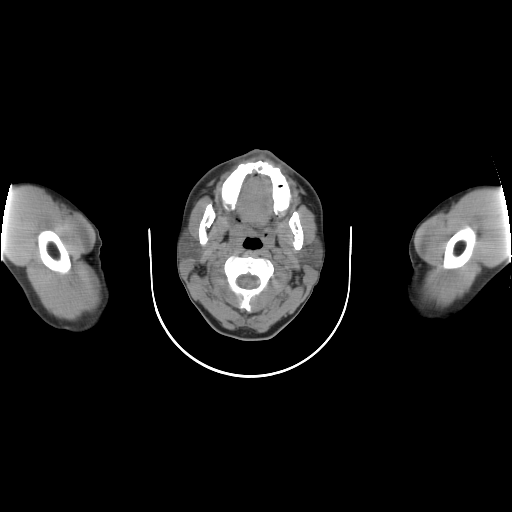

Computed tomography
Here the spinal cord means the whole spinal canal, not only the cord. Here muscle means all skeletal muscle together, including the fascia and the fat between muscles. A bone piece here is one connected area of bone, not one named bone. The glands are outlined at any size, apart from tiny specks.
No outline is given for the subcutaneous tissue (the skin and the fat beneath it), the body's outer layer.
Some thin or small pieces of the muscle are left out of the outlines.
The spinal cord is outlined by [[244,274],[249,274],[252,276],[256,276],[258,278],[258,279],[259,280],[259,283],[258,284],[258,285],[256,287],[254,287],[253,288],[244,288],[243,287],[241,287],[239,285],[238,285],[236,282],[236,280],[237,279],[237,278],[240,275],[243,275]]. The left arm is outlined by [[483,183],[494,184],[502,188],[507,210],[508,225],[511,233],[510,262],[494,276],[475,298],[460,312],[446,320],[439,322],[425,320],[419,317],[412,310],[406,293],[406,284],[412,269],[408,255],[408,242],[412,231],[416,224],[440,201],[464,188]]. The muscle appears in 3 outlined pieces: piece 1: [[254,156],[264,156],[280,164],[300,184],[308,195],[314,207],[318,237],[301,250],[299,253],[299,258],[303,263],[316,270],[316,276],[305,298],[292,313],[264,333],[243,333],[231,331],[219,325],[193,298],[181,273],[181,259],[195,259],[200,256],[201,246],[204,246],[208,241],[207,230],[216,217],[213,204],[208,202],[204,207],[198,224],[198,241],[187,228],[188,219],[193,203],[201,188],[207,182],[234,163]], around holes outlined by [[258,160],[267,161],[278,167],[289,186],[291,195],[289,206],[281,216],[277,215],[274,212],[269,178],[265,175],[256,173],[246,176],[238,195],[235,207],[233,209],[228,210],[223,205],[221,197],[221,187],[225,179],[240,163],[248,161],[254,162]] and by [[231,255],[263,257],[269,259],[273,263],[274,271],[272,276],[270,277],[267,285],[261,292],[254,296],[250,300],[251,305],[250,312],[248,312],[244,308],[239,308],[238,306],[239,298],[230,289],[227,282],[226,275],[224,272],[224,263],[226,259]] and by [[294,211],[297,211],[299,214],[300,223],[302,226],[302,229],[303,230],[303,235],[304,236],[304,239],[303,240],[303,245],[302,247],[299,250],[296,250],[293,246],[294,235],[289,226],[289,223],[288,222],[289,221],[289,218],[291,216],[292,213]] and by [[248,237],[249,238],[258,238],[260,240],[260,241],[261,242],[261,245],[259,247],[258,247],[257,248],[249,248],[248,247],[246,247],[245,246],[244,246],[244,240],[246,238],[247,238]]; piece 2: [[21,186],[34,186],[43,189],[81,214],[92,226],[95,232],[95,244],[89,255],[88,262],[97,273],[102,284],[102,301],[97,312],[93,315],[71,322],[57,319],[49,314],[39,302],[26,278],[1,252],[1,233],[7,196],[10,189]]; inner edge: [[47,229],[53,230],[59,236],[69,254],[69,257],[71,262],[71,268],[67,273],[62,274],[61,273],[53,271],[48,268],[42,262],[42,260],[40,257],[40,254],[39,253],[39,249],[38,248],[37,236],[41,231],[43,230],[46,230]]; piece 3: [[484,187],[493,188],[503,192],[507,210],[508,225],[511,233],[511,255],[504,261],[487,270],[462,298],[454,301],[448,306],[439,308],[424,303],[419,294],[423,267],[422,262],[414,247],[414,238],[418,228],[431,215],[451,201],[471,190]]; inner edge: [[466,225],[470,226],[475,231],[476,233],[476,242],[474,245],[471,256],[462,266],[458,268],[446,269],[442,266],[442,263],[443,262],[443,256],[444,255],[444,251],[445,250],[445,245],[446,244],[446,242],[453,234],[454,234],[459,229],[462,228]]. The right arm is outlined by [[19,181],[34,181],[56,190],[79,207],[99,230],[102,239],[100,257],[102,268],[109,285],[110,296],[103,319],[92,329],[80,333],[72,333],[56,329],[45,323],[32,310],[22,289],[2,261],[1,233],[3,229],[6,200],[10,186],[14,182]]. The parotid glands appear in 2 outlined pieces: piece 1: [[186,228],[188,230],[190,234],[196,239],[196,241],[198,242],[200,246],[200,254],[198,257],[196,257],[195,258],[188,258],[187,259],[182,259],[181,258],[181,256],[180,255],[180,242],[181,241],[182,234],[184,232],[184,230],[185,230]]; piece 2: [[317,238],[319,239],[321,243],[321,257],[320,258],[319,263],[317,266],[314,268],[313,267],[311,267],[310,265],[308,265],[307,263],[305,263],[302,261],[300,258],[300,253],[305,247],[311,244],[314,241],[314,240]]. The head and neck is outlined by [[253,148],[272,151],[301,174],[315,189],[320,199],[323,211],[325,255],[319,280],[313,288],[310,297],[296,317],[270,339],[260,341],[244,341],[216,332],[210,327],[190,301],[177,273],[176,239],[180,228],[186,199],[191,188],[199,178],[213,166]], around a hole outlined by [[248,237],[249,238],[258,238],[260,240],[260,241],[261,242],[261,245],[259,247],[258,247],[257,248],[249,248],[248,247],[246,247],[245,246],[244,246],[244,240],[246,238],[247,238]]. The bones appear in 6 outlined pieces: piece 1: [[258,160],[267,161],[278,167],[289,186],[291,195],[289,206],[281,216],[277,215],[274,212],[269,178],[265,175],[256,173],[246,176],[238,195],[235,207],[233,209],[228,210],[223,205],[221,197],[221,187],[225,179],[240,163],[248,161],[254,162]]; piece 2: [[231,255],[263,257],[269,259],[273,263],[274,271],[272,276],[270,277],[267,285],[261,292],[254,296],[250,300],[251,305],[250,312],[248,312],[244,308],[239,308],[238,306],[239,298],[230,289],[227,282],[226,275],[224,272],[224,263],[226,259]] with a hole at [[244,274],[249,274],[252,276],[256,276],[258,278],[258,279],[259,280],[259,283],[258,284],[258,285],[256,287],[254,287],[253,288],[244,288],[243,287],[241,287],[239,285],[238,285],[236,282],[236,280],[237,279],[237,278],[240,275],[243,275]]; piece 3: [[47,229],[53,230],[59,236],[69,254],[69,257],[71,262],[71,268],[67,273],[62,274],[61,273],[53,271],[48,268],[42,262],[42,260],[40,257],[40,254],[39,253],[39,249],[38,248],[37,236],[41,231],[43,230],[46,230]]; piece 4: [[466,225],[470,226],[475,231],[476,233],[476,242],[474,245],[471,256],[462,266],[458,268],[446,269],[442,266],[442,263],[443,262],[443,256],[444,255],[444,251],[445,250],[445,245],[446,244],[446,242],[453,234],[454,234],[459,229],[462,228]]; piece 5: [[208,203],[211,203],[212,204],[213,209],[215,212],[215,217],[210,226],[206,230],[206,232],[207,233],[207,241],[204,245],[201,245],[199,242],[199,238],[198,237],[198,228],[199,227],[199,224],[202,218],[202,216],[203,215],[205,207]]; piece 6: [[294,211],[297,211],[299,214],[300,223],[302,226],[302,229],[303,230],[303,235],[304,236],[304,239],[303,240],[303,245],[302,247],[299,250],[296,250],[293,246],[294,235],[289,226],[289,223],[288,222],[289,221],[289,218],[291,216],[292,213]].